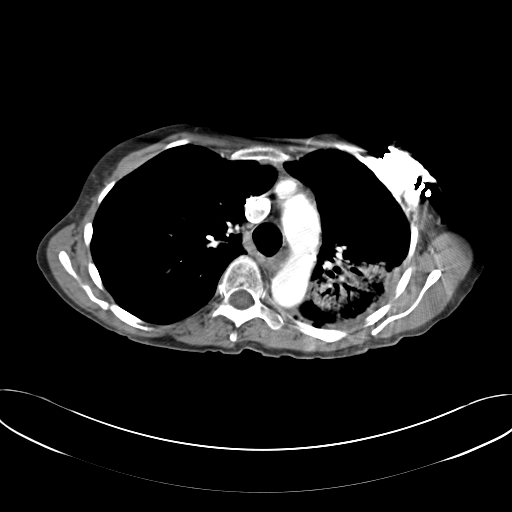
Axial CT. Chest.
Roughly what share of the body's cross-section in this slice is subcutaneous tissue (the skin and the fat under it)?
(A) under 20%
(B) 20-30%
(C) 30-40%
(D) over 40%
Answer: (A) under 20%
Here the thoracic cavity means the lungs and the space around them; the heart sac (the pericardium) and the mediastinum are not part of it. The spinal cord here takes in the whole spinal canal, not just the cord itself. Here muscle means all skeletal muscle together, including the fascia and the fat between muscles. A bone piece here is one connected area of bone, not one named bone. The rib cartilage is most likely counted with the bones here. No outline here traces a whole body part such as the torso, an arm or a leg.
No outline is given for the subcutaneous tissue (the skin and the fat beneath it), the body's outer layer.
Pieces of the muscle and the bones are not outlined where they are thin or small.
The spinal cord is outlined by 241,290 243,290 244,291 247,292 251,296 251,297 252,298 252,304 251,305 250,305 245,308 238,308 237,307 234,306 232,304 231,304 231,303 230,302 230,296 233,293 234,293 237,291 240,291. The muscle is outlined by 180,132 191,132 192,133 215,136 227,139 233,142 253,141 264,144 274,144 275,145 299,145 300,140 306,140 307,139 336,139 351,143 360,148 364,148 376,155 398,178 409,196 412,209 417,212 417,217 424,225 425,229 428,232 435,231 438,233 441,232 453,233 460,237 469,246 472,253 472,261 470,268 465,277 460,282 453,294 452,298 443,310 423,325 415,329 403,331 386,338 371,340 360,345 353,345 332,351 309,351 305,352 286,348 281,348 280,349 268,348 258,342 251,340 238,342 233,347 223,347 218,345 192,345 179,341 169,335 164,335 158,337 141,337 119,330 113,326 107,324 89,311 87,311 79,306 64,292 53,276 49,267 46,256 47,245 50,238 60,229 73,222 75,223 78,222 84,215 86,210 90,205 91,197 103,185 104,180 111,174 118,162 124,156 130,152 141,149 158,142 170,135; inner edges: 181,138 225,155 255,145 273,146 299,157 321,148 334,149 337,142 358,149 365,155 360,162 388,190 393,187 398,192 401,210 408,222 418,227 415,249 407,263 413,269 404,290 393,299 396,286 392,286 380,304 391,301 391,306 380,319 366,327 363,320 350,325 344,329 348,334 333,342 314,338 287,322 272,329 260,317 235,328 225,316 208,314 213,298 179,320 146,322 154,328 150,331 103,309 67,272 58,254 61,250 67,253 80,281 97,298 114,302 89,274 88,262 93,259 84,241 84,225 94,220 98,196 109,182 117,182 166,144, then 438,266 441,268 441,275 439,278 424,292 420,301 417,305 408,314 402,317 397,318 392,321 390,321 375,335 372,335 371,334 372,329 384,319 389,316 403,312 413,303 424,285 428,274 433,269 436,268, then 234,330 236,330 236,331 237,332 237,338 236,339 236,340 235,341 232,341 231,340 230,340 230,339 229,338 229,336 230,335 230,334. The mediastinum is outlined by 259,162 282,164 292,177 308,186 314,194 320,218 322,240 311,280 304,302 291,313 276,305 264,285 258,264 246,254 243,246 246,227 245,202 250,196 258,196 268,190 277,177 277,171 272,165 262,166. The bones appear in 13 outlined pieces: piece 1: 240,255 248,256 257,264 263,285 278,308 314,327 346,330 348,334 339,340 326,342 291,327 287,322 279,329 272,329 262,318 254,317 235,328 234,323 223,315 211,317 208,311 214,301 221,276 230,262 with a hole at 241,290 243,290 244,291 247,292 251,296 251,297 252,298 252,304 251,305 250,305 245,308 238,308 237,307 234,306 232,304 231,304 231,303 230,302 230,296 233,293 234,293 237,291 240,291; piece 2: 61,250 65,251 69,256 71,265 80,281 87,284 97,298 110,303 114,302 126,311 146,322 147,325 154,329 149,331 134,327 122,321 109,309 103,309 97,303 92,301 78,281 67,272 60,262 58,254; piece 3: 255,145 260,145 261,146 269,145 273,146 287,154 294,156 293,160 285,161 282,163 272,164 267,161 258,161 253,159 236,159 235,160 228,159 225,157 226,155 229,155 236,150 238,150 241,148 254,146; piece 4: 438,266 441,268 441,275 439,278 424,292 420,301 417,305 408,314 402,317 397,318 392,321 390,321 375,335 372,335 371,334 372,329 384,319 389,316 403,312 413,303 424,285 428,274 433,269 436,268; piece 5: 389,301 391,301 391,306 390,308 386,312 386,313 380,319 379,319 373,324 371,325 369,325 366,327 364,327 363,325 364,324 364,320 365,318 368,315 369,315 371,313 375,311 378,308 384,305; piece 6: 408,265 410,265 412,267 413,267 413,269 411,272 411,275 408,281 408,283 406,285 404,290 398,296 398,297 395,299 393,299 394,297 394,295 395,294 395,287 396,286 396,284 398,280 400,278 402,273; piece 7: 409,223 416,224 417,225 418,227 418,237 417,238 417,242 415,245 415,249 411,259 409,262 407,263 407,264 406,263 404,264 404,260 408,253 409,244 410,243 410,235 411,234 410,233 410,224; piece 8: 337,142 341,142 342,143 349,144 350,145 352,145 355,148 358,149 359,151 360,151 364,155 365,155 363,157 363,161 362,161 361,159 360,161 353,155 346,151 340,150 339,149 335,148 335,146; piece 9: 90,260 91,260 93,262 93,263 95,265 99,273 99,275 101,278 101,281 102,282 102,284 104,287 104,290 102,290 100,289 95,284 95,283 93,281 93,280 91,278 89,274 89,272 88,271 88,262; piece 10: 88,221 90,221 91,222 92,222 92,235 91,236 91,240 90,241 90,244 89,245 89,248 88,248 86,246 86,245 85,244 85,242 84,241 84,236 83,235 83,230 84,229 84,225 85,224 85,223; piece 11: 181,138 190,138 191,139 191,142 190,143 187,143 186,144 183,144 182,145 177,145 173,147 170,147 167,149 165,149 159,152 160,150 166,144 170,142 172,142 175,140 180,139; piece 12: 114,179 115,180 116,180 116,182 111,188 111,189 103,198 103,199 101,201 101,202 99,204 99,205 98,205 97,204 97,200 98,199 98,196 99,195 100,192 102,190 102,189 109,182 110,182; piece 13: 392,187 393,187 398,192 398,194 399,195 399,196 400,197 400,198 402,201 402,207 401,207 400,206 400,205 397,202 397,201 394,198 394,197 390,192 390,191 389,190 390,189 391,189 392,188. The thoracic cavity appears in 2 outlined pieces: piece 1: 187,144 222,152 231,161 253,160 262,167 272,166 276,177 264,192 246,198 242,236 245,254 229,262 213,298 179,320 163,324 147,322 116,303 104,286 90,249 93,221 100,204 120,179 157,154; piece 2: 321,148 346,152 365,165 389,191 409,224 409,243 403,260 403,271 395,285 387,292 379,307 363,320 344,329 317,327 292,314 295,308 305,302 323,238 314,192 308,185 292,176 283,163.